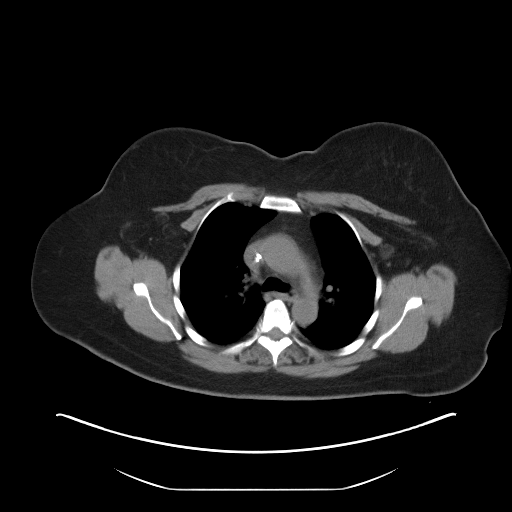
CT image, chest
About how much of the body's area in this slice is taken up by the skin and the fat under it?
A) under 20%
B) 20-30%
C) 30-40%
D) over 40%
Answer: D) over 40%
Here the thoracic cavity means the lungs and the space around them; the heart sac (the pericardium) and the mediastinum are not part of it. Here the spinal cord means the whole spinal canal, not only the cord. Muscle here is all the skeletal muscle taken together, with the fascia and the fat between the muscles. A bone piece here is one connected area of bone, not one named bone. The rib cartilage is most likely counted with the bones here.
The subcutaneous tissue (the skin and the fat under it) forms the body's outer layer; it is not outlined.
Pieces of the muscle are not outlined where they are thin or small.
{"mediastinum":[[[313,209],[321,212],[311,218],[310,226],[324,275],[317,317],[307,327],[299,328],[291,318],[286,304],[280,298],[271,299],[266,303],[259,287],[256,284],[250,285],[250,272],[244,262],[243,254],[250,237],[277,212],[300,214],[303,210]]],"thoracic_cavity":[[[228,202],[258,205],[261,209],[273,210],[276,213],[249,237],[242,254],[243,262],[249,272],[249,285],[258,287],[265,303],[261,316],[252,332],[244,339],[232,344],[220,344],[209,341],[193,327],[180,298],[180,275],[181,266],[204,221],[216,208]],[[322,212],[335,214],[348,225],[362,248],[375,277],[372,312],[357,337],[337,349],[325,349],[314,345],[302,335],[299,329],[307,328],[311,325],[317,319],[319,313],[319,300],[322,296],[321,292],[325,273],[316,237],[311,226],[311,220],[314,216]]],"torso":[[[379,120],[413,127],[433,140],[508,257],[500,328],[488,344],[483,369],[460,390],[321,400],[207,395],[137,376],[54,333],[39,317],[30,290],[39,238],[59,214],[101,187],[119,155],[141,135],[165,126],[189,126],[285,156],[311,150],[344,128]]],"bones":[{"outer":[[274,299],[280,299],[285,304],[290,318],[301,334],[300,338],[314,348],[318,354],[310,355],[305,347],[294,342],[280,352],[274,367],[270,352],[257,342],[244,348],[238,354],[221,353],[226,347],[244,340],[253,332],[262,316],[265,305]],"hole":[[273,328],[277,328],[278,329],[279,329],[282,332],[282,333],[283,334],[283,335],[280,338],[279,338],[278,339],[273,339],[272,338],[271,338],[267,334]]},[[266,195],[276,195],[277,196],[288,196],[289,197],[291,197],[296,201],[298,205],[301,208],[302,211],[300,213],[296,213],[295,212],[288,212],[287,211],[277,211],[276,210],[269,209],[268,208],[261,208],[259,206],[259,204],[263,197]],[[375,309],[378,309],[379,310],[379,313],[377,316],[376,321],[373,327],[368,333],[364,336],[365,340],[361,346],[355,351],[349,354],[342,355],[341,356],[335,355],[334,353],[339,348],[341,348],[349,344],[358,337],[360,337],[363,335],[362,329]],[[411,296],[420,296],[422,299],[422,304],[416,308],[410,309],[406,313],[401,323],[398,326],[398,327],[389,336],[385,338],[376,349],[373,349],[371,346],[377,339],[377,338],[381,334],[388,330],[399,319],[402,314],[406,301],[408,298]],[[135,282],[143,282],[146,285],[150,296],[150,299],[153,306],[160,314],[165,318],[170,320],[176,330],[181,335],[181,339],[176,339],[171,329],[165,323],[162,322],[153,313],[149,306],[147,299],[144,296],[138,296],[136,295],[133,289],[133,284]],[[229,191],[239,191],[240,192],[247,192],[248,193],[250,193],[252,195],[251,199],[244,200],[243,201],[228,201],[227,202],[222,203],[216,207],[206,217],[200,226],[199,229],[197,231],[196,234],[197,227],[203,215],[217,200],[223,197]],[[178,263],[180,264],[179,292],[178,293],[178,295],[179,296],[180,301],[185,310],[186,315],[184,319],[181,318],[179,315],[173,302],[173,296],[176,292],[174,289],[174,286],[173,285],[173,277],[172,275],[173,274],[174,268]],[[185,325],[189,325],[190,326],[191,326],[199,334],[200,334],[202,336],[203,336],[210,343],[210,346],[203,346],[202,345],[200,345],[199,344],[196,343],[194,341],[193,341],[189,337],[189,336],[186,333],[186,332],[185,331],[185,329],[184,328]],[[335,210],[338,210],[342,212],[344,214],[345,214],[346,216],[353,223],[360,236],[360,238],[362,241],[362,244],[363,245],[363,247],[362,247],[360,245],[354,232],[349,226],[349,225],[342,218],[341,218],[338,215],[334,213],[334,211]],[[377,274],[379,274],[381,276],[381,278],[382,279],[382,287],[381,288],[381,293],[380,294],[380,295],[379,296],[379,298],[377,300],[377,301],[375,303],[374,303],[374,297],[375,296],[375,289],[376,288],[376,277],[375,276]]],"spinal_cord":[[[273,328],[277,328],[278,329],[279,329],[282,332],[282,333],[283,334],[283,335],[280,338],[279,338],[278,339],[273,339],[272,338],[271,338],[267,334]]],"muscle":[{"outer":[[226,182],[245,183],[264,188],[270,193],[290,196],[305,190],[353,193],[387,210],[415,220],[416,223],[413,225],[402,225],[367,213],[356,216],[363,225],[383,240],[383,245],[375,246],[371,255],[385,277],[389,278],[394,274],[409,270],[415,272],[425,270],[438,262],[453,270],[457,281],[449,317],[435,327],[424,341],[411,351],[389,352],[345,374],[316,378],[291,376],[273,369],[240,373],[210,371],[186,361],[165,342],[153,340],[136,332],[120,313],[113,310],[97,295],[94,280],[97,254],[105,246],[118,245],[132,259],[155,258],[162,262],[168,271],[171,270],[188,244],[189,234],[180,227],[185,216],[183,212],[157,213],[151,208],[183,202],[202,186]],"holes":[[[229,191],[250,193],[251,199],[241,202],[247,205],[258,205],[266,195],[288,196],[302,210],[338,210],[353,223],[374,275],[382,279],[373,304],[379,313],[359,348],[338,356],[336,349],[318,347],[301,335],[318,354],[310,355],[294,342],[280,352],[274,367],[270,352],[257,342],[238,354],[223,354],[229,344],[203,346],[189,337],[184,327],[192,323],[187,315],[181,318],[173,302],[173,271],[186,259],[203,215]],[[411,296],[420,296],[422,299],[422,304],[416,308],[410,309],[406,313],[401,323],[398,326],[398,327],[389,336],[385,338],[376,349],[373,349],[371,346],[377,339],[377,338],[381,334],[388,330],[399,319],[402,314],[406,301],[408,298]],[[135,282],[143,282],[146,285],[150,296],[150,299],[153,306],[160,314],[165,318],[170,320],[176,330],[181,335],[181,339],[176,339],[171,329],[165,323],[162,322],[153,313],[149,306],[147,299],[144,296],[138,296],[136,295],[133,289],[133,284]]]}]}